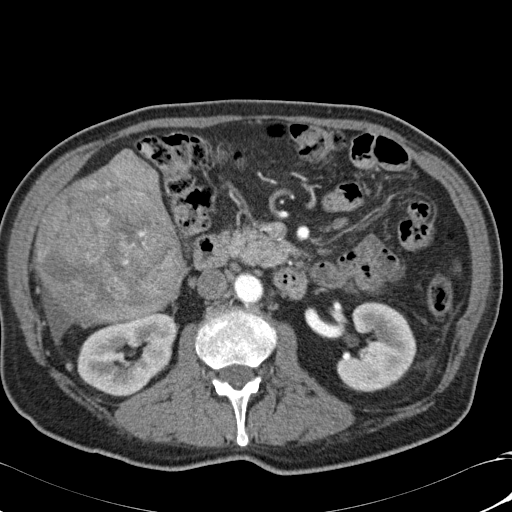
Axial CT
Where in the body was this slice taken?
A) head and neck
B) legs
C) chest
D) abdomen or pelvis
D) abdomen or pelvis
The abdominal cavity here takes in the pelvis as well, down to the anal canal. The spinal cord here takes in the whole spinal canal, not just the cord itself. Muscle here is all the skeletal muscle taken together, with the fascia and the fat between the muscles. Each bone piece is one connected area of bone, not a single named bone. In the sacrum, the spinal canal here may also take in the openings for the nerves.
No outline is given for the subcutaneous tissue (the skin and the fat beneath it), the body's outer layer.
The spinal cord is outlined by (234, 364) (236, 365) (248, 366) (252, 368) (254, 370) (254, 372) (255, 373) (255, 376) (252, 379) (247, 381) (242, 386) (242, 387) (239, 389) (234, 388) (226, 381) (222, 381) (220, 380) (217, 376) (218, 374) (218, 371) (220, 369) (224, 368) (227, 366) (233, 365). The torso is outlined by (231, 98) (353, 104) (390, 113) (446, 147) (481, 188) (498, 229) (503, 291) (471, 407) (447, 433) (388, 457) (318, 473) (280, 475) (246, 460) (163, 471) (85, 452) (48, 437) (21, 416) (7, 399) (0, 382) (0, 220) (18, 183) (52, 147) (88, 126) (150, 105). The muscle is outlined by (229, 114) (232, 115) (273, 114) (287, 116) (305, 115) (319, 118) (366, 120) (369, 122) (379, 124) (397, 132) (422, 150) (425, 150) (441, 158) (455, 170) (471, 191) (477, 201) (484, 218) (490, 246) (491, 280) (489, 291) (487, 295) (484, 311) (474, 331) (472, 339) (466, 349) (465, 355) (461, 361) (459, 368) (453, 379) (444, 390) (435, 396) (435, 402) (426, 410) (410, 417) (406, 417) (395, 421) (389, 425) (367, 433) (365, 435) (355, 438) (349, 438) (347, 440) (342, 439) (335, 440) (331, 442) (316, 445) (286, 445) (285, 446) (262, 445) (249, 448) (239, 448) (236, 446) (225, 447) (195, 447) (191, 445) (174, 446) (159, 442) (144, 442) (141, 440) (128, 438) (125, 434) (119, 433) (115, 427) (107, 425) (103, 419) (99, 419) (82, 405) (67, 395) (49, 375) (47, 369) (44, 366) (39, 364) (31, 354) (26, 345) (24, 335) (19, 326) (19, 320) (10, 300) (6, 279) (7, 276) (6, 254) (11, 230) (19, 208) (25, 196) (42, 172) (66, 152) (83, 144) (86, 144) (95, 140) (103, 139) (111, 133) (142, 121) (165, 117) (198, 117) with a hole at (253, 119) (399, 142) (449, 194) (471, 281) (438, 383) (395, 407) (356, 409) (328, 391) (300, 365) (292, 326) (271, 318) (277, 341) (240, 446) (232, 404) (195, 351) (197, 322) (182, 328) (169, 371) (122, 401) (60, 371) (44, 347) (29, 257) (46, 206) (103, 146). The bones are outlined by (230, 305) (256, 314) (263, 312) (277, 335) (273, 352) (259, 367) (262, 378) (259, 388) (250, 396) (247, 404) (245, 431) (248, 442) (245, 446) (236, 442) (237, 424) (231, 402) (226, 396) (216, 393) (211, 383) (212, 370) (195, 351) (195, 335) (208, 310) (215, 312), around a hole outlined by (234, 364) (236, 365) (248, 366) (252, 368) (254, 370) (254, 372) (255, 373) (255, 376) (252, 379) (247, 381) (242, 386) (242, 387) (239, 389) (234, 388) (226, 381) (222, 381) (220, 380) (217, 376) (218, 374) (218, 371) (220, 369) (224, 368) (227, 366) (233, 365). The abdominal cavity is outlined by (253, 119) (386, 134) (446, 189) (467, 235) (471, 281) (445, 369) (427, 395) (395, 407) (356, 409) (300, 365) (289, 323) (230, 304) (187, 323) (169, 371) (119, 402) (87, 393) (52, 363) (29, 285) (34, 233) (52, 198) (95, 152) (122, 137) (159, 127).